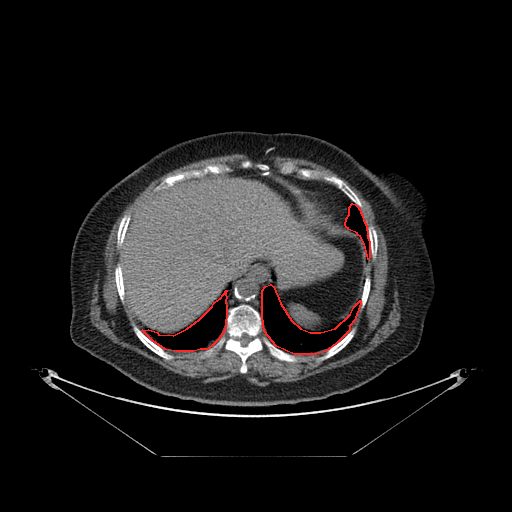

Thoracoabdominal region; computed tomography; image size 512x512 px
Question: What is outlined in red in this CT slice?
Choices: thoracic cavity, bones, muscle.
Answer: red: thoracic cavity.
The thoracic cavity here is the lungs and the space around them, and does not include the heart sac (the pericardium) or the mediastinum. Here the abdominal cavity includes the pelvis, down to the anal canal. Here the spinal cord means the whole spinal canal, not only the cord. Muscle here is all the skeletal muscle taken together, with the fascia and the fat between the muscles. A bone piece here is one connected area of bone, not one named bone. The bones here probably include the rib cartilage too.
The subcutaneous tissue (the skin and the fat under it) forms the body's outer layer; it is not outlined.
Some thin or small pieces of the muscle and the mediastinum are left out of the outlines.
{"thoracic_cavity":[[[270,284],[273,286],[280,303],[291,320],[300,328],[310,332],[320,332],[335,328],[350,314],[354,306],[360,300],[360,303],[354,320],[349,326],[349,330],[336,343],[325,351],[316,354],[294,354],[276,346],[264,331],[262,316],[262,290],[265,286]],[[226,290],[225,294],[226,297],[225,300],[226,308],[225,328],[219,338],[211,346],[206,349],[200,349],[193,351],[176,351],[165,349],[152,340],[142,330],[148,329],[157,332],[158,334],[173,335],[187,328],[199,319],[212,306],[214,302],[220,298]],[[352,203],[355,204],[360,210],[360,212],[362,215],[363,220],[366,225],[366,229],[367,230],[367,237],[369,242],[369,257],[368,259],[364,243],[360,236],[358,235],[357,233],[348,229],[348,228],[346,227],[345,225],[346,218],[349,214],[349,207]]],"mediastinum":[[[258,264],[266,265],[271,271],[272,275],[272,284],[270,283],[265,285],[261,290],[261,314],[252,305],[244,302],[231,306],[227,309],[226,307],[226,300],[227,299],[226,294],[228,288],[230,287],[233,282],[241,277],[248,270],[253,268]],[[280,174],[284,175],[292,174],[296,177],[306,180],[321,180],[329,184],[334,185],[352,202],[348,207],[348,214],[345,218],[344,225],[337,217],[328,212],[321,204],[305,192],[301,187],[299,187],[292,183]]],"torso":[[[230,130],[316,136],[347,151],[372,170],[387,169],[398,173],[421,192],[429,211],[424,232],[435,292],[419,345],[409,356],[360,387],[325,399],[269,406],[228,406],[183,400],[152,391],[71,340],[71,251],[77,231],[95,201],[161,150],[190,138]]],"abdominal_cavity":[[[240,168],[259,170],[262,176],[279,174],[359,236],[368,260],[360,299],[335,327],[306,330],[286,312],[274,288],[272,271],[266,264],[258,263],[233,281],[187,327],[173,334],[141,329],[125,299],[120,263],[122,245],[132,217],[147,198],[177,182]]],"muscle":[{"outer":[[234,153],[243,153],[247,155],[265,155],[266,156],[281,156],[282,157],[302,158],[312,161],[336,172],[350,181],[367,198],[379,221],[379,223],[387,242],[387,248],[388,249],[387,282],[396,290],[401,306],[401,318],[399,325],[385,340],[381,342],[371,351],[368,352],[360,358],[340,367],[327,370],[324,372],[319,373],[316,375],[311,376],[308,378],[299,381],[294,381],[293,382],[288,382],[287,383],[282,383],[275,385],[269,385],[268,386],[259,386],[249,382],[243,375],[238,374],[232,377],[226,379],[218,380],[217,381],[198,382],[194,380],[191,380],[186,377],[180,376],[140,356],[138,354],[126,348],[124,348],[118,344],[114,343],[91,324],[89,317],[89,313],[90,312],[90,301],[91,300],[93,281],[98,268],[98,265],[102,253],[104,250],[104,247],[106,245],[106,242],[110,231],[115,221],[128,203],[145,186],[149,184],[153,180],[173,169],[175,169],[180,166],[185,165],[191,162],[198,161],[201,159],[205,159],[206,158],[210,158],[216,156],[221,156],[222,155],[228,155]],"hole":[[244,160],[253,165],[265,163],[272,174],[279,172],[282,163],[290,161],[298,167],[342,179],[360,200],[359,209],[365,224],[375,228],[377,253],[375,259],[369,256],[365,272],[371,281],[369,293],[365,305],[357,310],[349,326],[350,330],[356,327],[356,331],[345,347],[322,361],[318,362],[316,357],[324,351],[295,353],[303,359],[290,362],[272,356],[265,349],[252,353],[246,359],[247,371],[241,373],[241,359],[231,350],[221,349],[201,357],[204,349],[166,349],[174,357],[165,359],[136,336],[132,323],[138,324],[126,300],[123,303],[120,299],[115,267],[122,251],[121,246],[117,247],[117,231],[123,215],[129,214],[131,218],[168,176],[209,164],[239,169]]}],"bones":[{"outer":[[244,303],[252,306],[259,312],[262,317],[263,331],[276,347],[303,359],[295,362],[280,360],[265,349],[252,353],[246,359],[247,371],[241,373],[239,371],[241,359],[234,351],[221,349],[210,356],[201,357],[202,353],[211,347],[225,330],[227,310]],"hole":[[244,333],[245,333],[246,334],[247,334],[249,336],[250,336],[252,338],[251,339],[251,340],[246,345],[245,345],[244,346],[243,346],[241,344],[241,343],[237,339],[237,338],[238,337],[240,337]]},[[287,161],[292,162],[298,167],[305,167],[313,170],[318,170],[325,174],[333,175],[342,179],[357,195],[362,204],[362,207],[359,208],[341,190],[332,183],[329,183],[321,179],[306,179],[295,172],[290,174],[280,173],[279,169],[282,163]],[[209,164],[212,165],[214,164],[226,164],[233,169],[232,171],[222,172],[216,174],[210,173],[203,177],[194,177],[190,179],[184,179],[177,181],[173,185],[167,188],[161,189],[158,191],[153,190],[157,185],[168,176],[174,175],[184,171],[199,169]],[[132,323],[135,324],[152,341],[153,341],[156,344],[157,344],[159,346],[163,348],[167,352],[172,354],[174,356],[174,357],[172,359],[165,359],[161,357],[159,355],[156,354],[154,352],[150,350],[146,346],[145,346],[136,336],[132,328]],[[353,327],[356,327],[356,331],[352,339],[347,344],[347,345],[345,347],[344,347],[337,353],[331,356],[329,358],[327,358],[319,362],[318,362],[316,360],[316,357],[320,355],[322,355],[326,351],[327,349],[328,349],[330,347],[336,344]],[[126,213],[127,214],[129,214],[131,218],[128,224],[128,226],[127,227],[127,229],[125,233],[125,236],[124,237],[123,242],[120,247],[117,247],[117,231],[118,230],[118,227],[119,226],[119,224],[120,223],[121,218],[123,216],[123,215]],[[369,225],[373,225],[374,226],[375,230],[376,231],[376,233],[377,234],[377,241],[378,242],[378,245],[377,246],[377,253],[376,254],[376,257],[375,259],[373,259],[370,255],[370,242],[369,241],[369,238],[368,237],[368,230],[367,229],[367,226]],[[118,263],[119,263],[120,264],[120,267],[121,268],[121,273],[122,274],[122,277],[123,278],[123,286],[124,287],[124,302],[123,303],[120,299],[120,297],[119,296],[119,294],[118,293],[118,291],[117,290],[116,283],[115,282],[115,267]],[[244,160],[249,160],[252,163],[253,165],[255,165],[258,163],[265,163],[267,164],[270,167],[270,171],[271,173],[268,175],[262,175],[261,174],[261,171],[259,169],[255,167],[253,168],[248,168],[247,169],[245,168],[242,168],[240,166],[240,163]],[[366,276],[369,276],[370,277],[370,280],[371,281],[371,283],[370,284],[370,289],[369,290],[369,293],[368,294],[367,300],[365,303],[365,305],[362,309],[360,309],[359,308],[360,307],[360,304],[361,303],[361,296],[362,295],[363,286],[365,282]]],"spinal_cord":[[[244,333],[245,333],[246,334],[247,334],[249,336],[250,336],[252,338],[251,339],[251,340],[246,345],[245,345],[244,346],[243,346],[241,344],[241,343],[237,339],[237,338],[238,337],[240,337]]]}